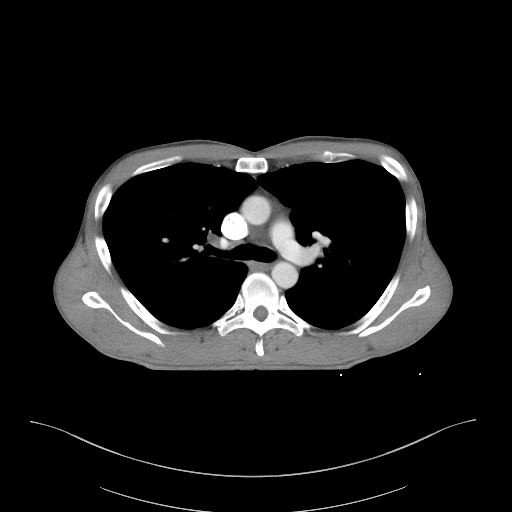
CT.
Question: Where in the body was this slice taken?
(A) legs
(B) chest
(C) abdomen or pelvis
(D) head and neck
Answer: (B) chest
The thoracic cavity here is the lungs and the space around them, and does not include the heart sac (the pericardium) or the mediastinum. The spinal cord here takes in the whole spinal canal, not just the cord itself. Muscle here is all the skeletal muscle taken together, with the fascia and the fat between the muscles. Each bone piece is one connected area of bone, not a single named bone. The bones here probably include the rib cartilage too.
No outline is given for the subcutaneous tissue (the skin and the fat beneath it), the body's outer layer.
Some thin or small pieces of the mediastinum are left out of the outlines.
The bones appear in 11 outlined pieces: piece 1: [[254,272],[262,272],[269,276],[279,292],[284,295],[289,307],[315,327],[309,331],[305,329],[300,336],[283,328],[268,330],[262,336],[263,355],[261,356],[255,350],[258,335],[252,330],[245,327],[236,328],[221,336],[210,325],[234,303],[246,276]], around a hole outlined by [[259,306],[262,306],[263,307],[264,307],[266,309],[266,310],[267,311],[267,314],[266,315],[265,318],[264,318],[262,320],[260,320],[259,319],[256,318],[254,316],[254,311],[255,310],[255,309],[257,307],[258,307]]; piece 2: [[395,273],[400,276],[398,284],[385,307],[371,323],[372,325],[377,325],[389,317],[419,288],[428,285],[430,287],[429,297],[417,306],[404,309],[387,325],[368,335],[360,337],[355,333],[340,334],[340,332],[350,329],[352,327],[351,324],[372,307]]; piece 3: [[120,286],[125,286],[150,313],[151,313],[160,321],[166,324],[167,327],[170,330],[175,330],[176,331],[178,331],[179,333],[177,334],[164,334],[163,333],[160,333],[156,331],[149,326],[140,317],[139,317],[128,305],[120,292],[120,289],[119,288]]; piece 4: [[88,291],[95,291],[97,292],[97,293],[123,320],[127,321],[139,330],[148,331],[153,333],[161,340],[164,344],[164,346],[161,346],[155,342],[132,331],[126,326],[122,324],[106,308],[103,307],[93,308],[85,304],[83,302],[81,297],[85,292]]; piece 5: [[244,156],[245,157],[249,157],[250,156],[261,156],[262,157],[264,157],[268,162],[268,170],[266,172],[264,172],[263,173],[249,173],[248,172],[243,172],[242,171],[236,171],[234,168],[235,167],[235,164],[236,163],[237,159],[240,157],[243,157]]; piece 6: [[409,197],[413,197],[414,198],[415,200],[415,202],[416,203],[416,206],[417,207],[417,219],[416,220],[416,225],[415,226],[415,233],[414,234],[414,236],[412,240],[409,240],[408,237],[406,235],[406,219],[405,218],[405,201],[406,199]]; piece 7: [[106,183],[109,183],[111,185],[111,189],[113,193],[110,198],[110,200],[108,203],[108,205],[102,217],[96,220],[94,216],[94,211],[95,210],[95,201],[96,200],[96,197],[101,187],[104,184]]; piece 8: [[173,155],[180,155],[182,157],[182,159],[179,162],[171,164],[168,166],[165,166],[161,168],[158,168],[154,170],[143,172],[130,177],[131,173],[138,167],[144,164],[149,163],[152,161],[159,160],[160,159],[162,159],[166,157],[169,157]]; piece 9: [[381,154],[386,154],[389,156],[391,156],[393,158],[397,160],[403,167],[405,171],[405,173],[406,174],[407,179],[406,180],[402,180],[401,181],[399,181],[396,177],[395,177],[386,169],[385,169],[380,164],[380,162],[379,161],[379,156]]; piece 10: [[96,235],[103,236],[105,240],[105,242],[107,245],[107,247],[109,251],[109,254],[111,258],[111,261],[112,262],[112,266],[111,267],[111,271],[110,273],[109,273],[105,269],[98,255],[98,253],[97,252],[97,250],[95,246],[95,240],[94,239]]; piece 11: [[325,150],[329,150],[334,152],[345,152],[346,153],[350,153],[351,154],[353,154],[356,157],[356,158],[354,158],[353,159],[348,159],[343,161],[336,161],[335,162],[324,162],[319,160],[314,160],[313,158],[313,156],[314,155],[321,153]]. The muscle is outlined by [[305,141],[379,144],[394,151],[411,173],[420,196],[423,236],[443,269],[449,288],[442,311],[413,338],[338,364],[166,366],[113,353],[66,316],[57,297],[57,279],[78,242],[85,239],[89,203],[98,185],[116,164],[132,154],[191,144],[222,145],[252,155],[238,157],[233,168],[180,162],[183,157],[173,154],[138,166],[113,192],[112,185],[104,183],[94,201],[94,219],[102,218],[102,235],[96,234],[93,239],[99,260],[109,274],[113,265],[124,284],[118,288],[121,296],[153,330],[177,335],[180,332],[167,325],[182,329],[209,325],[223,337],[245,328],[257,335],[254,350],[261,357],[263,336],[272,329],[300,337],[305,330],[316,327],[336,330],[350,325],[338,333],[362,338],[381,330],[404,310],[423,304],[431,294],[431,287],[426,284],[389,316],[372,324],[399,284],[401,276],[395,272],[405,238],[412,241],[416,233],[417,203],[413,196],[405,198],[400,183],[408,179],[404,167],[386,153],[378,156],[378,164],[350,152],[325,149],[314,154],[313,160],[269,170],[268,160],[258,154]]; inner edge: [[88,291],[95,291],[97,292],[97,293],[123,320],[127,321],[139,330],[148,331],[153,333],[161,340],[164,344],[164,346],[161,346],[155,342],[132,331],[126,326],[122,324],[106,308],[103,307],[93,308],[85,304],[83,302],[81,297],[85,292]]. The mediastinum is outlined by [[257,183],[291,208],[289,218],[295,229],[296,240],[307,250],[309,256],[307,264],[299,272],[297,282],[284,294],[265,272],[254,271],[247,274],[248,269],[243,262],[232,259],[230,257],[234,255],[231,252],[218,246],[224,216],[235,210],[256,188]]. The thoracic cavity is outlined by [[354,159],[399,182],[405,237],[385,288],[346,326],[315,326],[288,304],[285,292],[310,256],[297,240],[292,208],[257,182],[220,223],[218,248],[247,270],[233,303],[210,324],[160,320],[113,264],[103,216],[132,177],[195,162],[256,181],[290,164]]. The spinal cord is outlined by [[259,306],[262,306],[263,307],[264,307],[266,309],[266,310],[267,311],[267,314],[266,315],[265,318],[264,318],[262,320],[260,320],[259,319],[256,318],[254,316],[254,311],[255,310],[255,309],[257,307],[258,307]]. The torso is outlined by [[303,135],[380,140],[397,148],[415,172],[423,192],[429,238],[453,284],[453,297],[448,310],[418,341],[395,353],[343,370],[156,371],[104,355],[63,320],[53,300],[53,278],[75,240],[92,185],[116,158],[136,148],[183,139],[213,139],[258,150]].